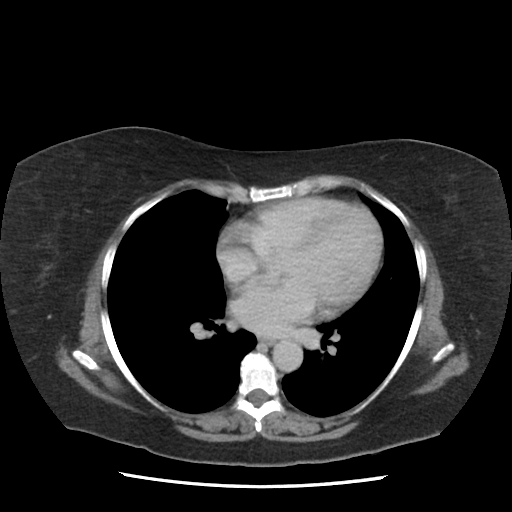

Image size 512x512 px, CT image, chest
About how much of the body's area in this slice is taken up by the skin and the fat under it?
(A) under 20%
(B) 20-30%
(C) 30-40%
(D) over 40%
(D) over 40%
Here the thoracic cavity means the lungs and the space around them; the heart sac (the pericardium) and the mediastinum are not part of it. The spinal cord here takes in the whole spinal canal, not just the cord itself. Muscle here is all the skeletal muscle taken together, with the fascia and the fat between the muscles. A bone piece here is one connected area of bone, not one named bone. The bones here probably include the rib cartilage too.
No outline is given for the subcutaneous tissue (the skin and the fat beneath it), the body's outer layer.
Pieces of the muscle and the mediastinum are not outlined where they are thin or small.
The pericardium is outlined by (314, 192) (355, 196) (369, 207) (383, 234) (384, 252) (381, 268) (367, 291) (349, 309) (334, 319) (314, 325) (311, 329) (303, 332) (258, 333) (248, 329) (228, 308) (224, 279) (216, 257) (220, 232) (230, 218) (239, 215) (253, 204) (290, 197) (294, 194) (304, 195). The spinal cord is outlined by (255, 389) (261, 389) (262, 390) (263, 390) (267, 394) (267, 395) (269, 397) (269, 398) (266, 401) (265, 401) (264, 402) (263, 402) (259, 406) (255, 406) (249, 400) (248, 400) (248, 399) (247, 398) (247, 396) (249, 394) (249, 393). The bones appear in 10 outlined pieces: piece 1: (250, 351) (260, 352) (266, 355) (275, 367) (278, 374) (277, 383) (280, 388) (280, 400) (285, 408) (285, 412) (272, 411) (266, 414) (261, 419) (261, 430) (259, 432) (255, 429) (255, 419) (252, 416) (242, 410) (231, 407) (241, 380) (239, 373) (240, 362) (242, 358) with a hole at (255, 389) (261, 389) (262, 390) (263, 390) (267, 394) (267, 395) (269, 397) (269, 398) (266, 401) (265, 401) (264, 402) (263, 402) (259, 406) (255, 406) (249, 400) (248, 400) (248, 399) (247, 398) (247, 396) (249, 394) (249, 393); piece 2: (322, 176) (340, 178) (345, 182) (342, 185) (329, 189) (316, 187) (315, 190) (308, 193) (294, 193) (290, 196) (257, 202) (230, 201) (228, 192) (222, 197) (218, 197) (208, 193) (204, 188) (206, 185) (224, 187) (239, 185) (247, 189) (250, 186) (271, 187); piece 3: (103, 309) (106, 309) (108, 312) (112, 332) (113, 333) (117, 347) (126, 365) (142, 387) (161, 405) (162, 409) (159, 409) (146, 400) (125, 378) (115, 363) (110, 352) (110, 350) (107, 345) (107, 343) (102, 330) (101, 320) (100, 319) (100, 313); piece 4: (417, 304) (421, 304) (422, 306) (422, 317) (414, 341) (405, 359) (388, 384) (379, 393) (379, 394) (364, 408) (360, 411) (354, 413) (353, 412) (354, 409) (360, 403) (360, 402) (364, 400) (382, 382) (395, 363) (407, 337) (409, 331) (409, 328) (411, 325) (411, 322); piece 5: (362, 183) (363, 183) (366, 187) (371, 188) (373, 190) (378, 192) (381, 195) (385, 196) (392, 201) (405, 215) (409, 222) (409, 224) (407, 226) (404, 226) (399, 218) (395, 214) (376, 201) (369, 195) (366, 194) (363, 191) (361, 191) (360, 190) (360, 186); piece 6: (167, 191) (169, 192) (169, 194) (167, 197) (159, 201) (145, 212) (141, 214) (131, 224) (131, 225) (126, 230) (126, 231) (125, 231) (123, 229) (123, 224) (125, 220) (138, 206) (139, 206) (144, 202) (148, 200) (150, 200) (155, 197) (157, 197) (162, 193) (166, 192); piece 7: (415, 239) (418, 240) (422, 244) (424, 248) (425, 255) (426, 256) (426, 264) (427, 265) (427, 269) (426, 270) (425, 280) (423, 282) (420, 282) (420, 280) (419, 279) (419, 274) (418, 273) (418, 269) (417, 268) (417, 263) (416, 262) (415, 253) (413, 248) (413, 241); piece 8: (113, 243) (117, 243) (117, 247) (113, 258) (113, 261) (111, 266) (111, 270) (110, 271) (110, 274) (109, 275) (109, 278) (107, 283) (107, 287) (106, 288) (103, 288) (101, 284) (101, 276) (102, 275) (103, 260) (107, 249) (109, 246); piece 9: (75, 349) (78, 349) (79, 350) (80, 350) (81, 351) (86, 353) (88, 355) (89, 355) (97, 363) (97, 364) (100, 367) (100, 369) (99, 369) (98, 370) (95, 370) (94, 369) (88, 369) (82, 364) (81, 364) (75, 358) (74, 358) (74, 357) (72, 355) (72, 351); piece 10: (450, 342) (451, 342) (454, 344) (454, 348) (449, 353) (448, 353) (447, 354) (447, 355) (446, 355) (442, 359) (441, 359) (439, 361) (437, 361) (436, 362) (433, 362) (432, 361) (432, 357) (436, 353) (436, 352) (439, 349) (440, 349) (444, 345) (445, 345). The mediastinum appears in 3 outlined pieces: piece 1: (230, 312) (237, 318) (244, 328) (258, 334) (271, 332) (304, 332) (303, 341) (305, 348) (300, 366) (294, 371) (285, 374) (279, 381) (279, 374) (270, 358) (260, 351) (252, 350) (257, 343) (255, 335) (245, 329) (239, 329) (235, 332) (228, 330) (227, 326) (230, 323); piece 2: (223, 197) (227, 197) (227, 199) (230, 202) (233, 201) (241, 203) (248, 203) (249, 202) (255, 203) (253, 203) (250, 205) (247, 209) (244, 209) (243, 211) (242, 210) (239, 214) (233, 215) (230, 217) (220, 231) (228, 216) (228, 214) (226, 211) (227, 199); piece 3: (340, 186) (347, 186) (348, 187) (355, 188) (361, 192) (363, 192) (366, 195) (369, 196) (375, 201) (370, 200) (368, 198) (362, 195) (360, 198) (355, 195) (351, 195) (347, 193) (334, 193) (333, 192) (318, 191) (321, 191) (322, 190) (329, 190). The torso is outlined by (119, 126) (153, 127) (239, 150) (310, 149) (370, 139) (410, 138) (454, 147) (492, 165) (502, 187) (511, 238) (507, 302) (485, 368) (447, 425) (434, 437) (375, 454) (283, 468) (183, 462) (67, 428) (34, 383) (10, 327) (0, 274) (4, 209) (19, 160) (60, 141). The muscle appears in 2 outlined pieces: piece 1: (184, 178) (219, 179) (242, 185) (264, 186) (250, 185) (247, 188) (239, 184) (206, 184) (203, 188) (207, 192) (192, 188) (169, 196) (170, 192) (164, 191) (138, 205) (127, 216) (122, 224) (125, 232) (118, 245) (113, 242) (105, 251) (100, 284) (106, 289) (107, 309) (103, 308) (99, 313) (101, 330) (111, 357) (124, 378) (154, 407) (163, 409) (159, 401) (182, 412) (204, 413) (223, 406) (234, 397) (230, 407) (252, 417) (258, 433) (262, 430) (262, 419) (266, 415) (286, 412) (281, 391) (294, 407) (316, 417) (332, 416) (357, 404) (352, 411) (354, 414) (364, 409) (389, 384) (403, 364) (423, 317) (423, 306) (417, 300) (420, 283) (427, 276) (426, 251) (418, 239) (411, 242) (405, 229) (410, 222) (396, 204) (406, 208) (405, 211) (429, 242) (444, 287) (444, 322) (451, 337) (465, 345) (469, 367) (435, 391) (394, 398) (364, 411) (361, 422) (339, 438) (309, 442) (276, 441) (261, 436) (246, 441) (208, 442) (181, 433) (168, 419) (133, 412) (92, 395) (59, 368) (55, 357) (62, 337) (76, 334) (84, 302) (81, 289) (85, 286) (87, 274) (105, 240) (141, 197), around holes outlined by (75, 349) (78, 349) (79, 350) (80, 350) (81, 351) (86, 353) (88, 355) (89, 355) (97, 363) (97, 364) (100, 367) (100, 369) (99, 369) (98, 370) (95, 370) (94, 369) (88, 369) (82, 364) (81, 364) (75, 358) (74, 358) (74, 357) (72, 355) (72, 351) and by (450, 342) (451, 342) (454, 344) (454, 348) (449, 353) (448, 353) (447, 354) (447, 355) (446, 355) (442, 359) (441, 359) (439, 361) (437, 361) (436, 362) (433, 362) (432, 361) (432, 357) (436, 353) (436, 352) (439, 349) (440, 349) (444, 345) (445, 345); piece 2: (313, 174) (338, 174) (355, 177) (367, 182) (385, 195) (381, 194) (371, 187) (366, 186) (363, 182) (360, 184) (359, 189) (355, 187) (343, 185) (346, 182) (342, 178) (331, 175) (322, 175) (316, 178) (303, 178) (290, 183) (287, 183) (290, 181) (297, 180) (307, 175). The thoracic cavity appears in 2 outlined pieces: piece 1: (192, 189) (226, 199) (227, 216) (215, 246) (226, 297) (225, 309) (229, 312) (226, 326) (231, 333) (248, 331) (256, 340) (254, 347) (239, 362) (240, 380) (234, 396) (215, 409) (195, 413) (163, 403) (138, 381) (118, 347) (107, 303) (114, 258) (127, 230) (159, 202); piece 2: (362, 196) (390, 211) (404, 227) (412, 244) (419, 280) (416, 306) (402, 347) (381, 382) (364, 399) (350, 408) (332, 415) (316, 416) (290, 403) (278, 381) (301, 366) (306, 348) (305, 332) (334, 320) (349, 310) (368, 291) (383, 267) (385, 258) (383, 230).